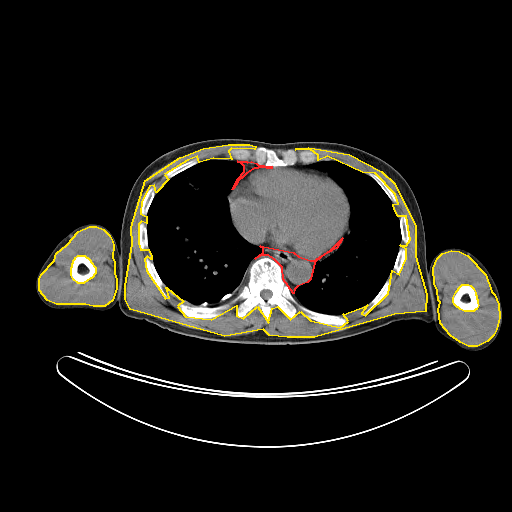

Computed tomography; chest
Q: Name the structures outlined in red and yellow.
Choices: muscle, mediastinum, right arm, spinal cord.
A: red: mediastinum; yellow: muscle.
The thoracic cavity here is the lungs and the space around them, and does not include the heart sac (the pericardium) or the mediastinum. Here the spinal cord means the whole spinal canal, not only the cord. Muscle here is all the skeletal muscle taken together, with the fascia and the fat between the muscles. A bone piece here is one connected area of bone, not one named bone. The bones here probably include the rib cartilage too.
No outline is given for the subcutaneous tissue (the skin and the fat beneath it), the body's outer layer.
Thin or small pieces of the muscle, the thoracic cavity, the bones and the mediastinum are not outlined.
The mediastinum appears in 2 outlined pieces: piece 1: 342,238 336,248 320,257 314,262 310,279 307,282 297,286 294,289 293,293 283,279 282,267 274,259 268,255 262,255 255,258 263,252 263,248 260,246 263,246 293,252 298,256 310,260 314,260 330,250; piece 2: 237,161 246,161 247,162 251,161 256,163 258,165 263,165 266,167 272,167 258,167 257,168 254,168 252,169 246,173 241,178 240,178 237,181 236,184 232,189 238,178 244,171 244,166 240,162. The muscle appears in 3 outlined pieces: piece 1: 228,144 249,144 255,146 254,149 231,148 228,151 231,159 213,158 199,162 197,156 187,160 164,174 168,179 156,192 154,185 149,186 141,201 140,213 146,216 146,223 141,221 138,224 138,243 140,249 148,249 151,256 151,259 147,256 144,259 146,270 165,298 169,297 166,287 183,301 177,306 185,316 211,319 236,305 236,315 243,318 257,306 268,322 272,308 277,306 290,319 300,311 310,320 340,327 348,321 343,314 367,305 361,313 365,315 388,293 392,270 399,274 406,258 406,249 400,245 406,245 410,239 406,216 398,216 394,209 393,204 398,203 395,194 375,173 362,172 327,156 318,160 318,155 310,149 295,149 308,147 349,154 381,171 394,183 415,226 415,256 426,294 425,311 394,314 314,337 287,337 269,335 263,329 224,336 130,309 125,299 125,285 132,244 131,227 145,180 180,157 203,148; piece 2: 89,226 96,226 103,229 109,235 112,241 113,245 112,257 114,262 114,273 116,279 116,288 112,300 104,306 93,306 85,304 56,304 47,300 39,290 39,279 41,274 54,260 56,253 67,244 78,231 with a hole at 78,255 84,255 86,257 87,257 90,260 90,261 95,267 95,273 93,275 93,276 91,278 90,278 83,283 78,283 73,279 71,275 71,267 72,266 72,263 73,262 73,260 75,258 75,257; piece 3: 451,250 459,251 467,255 485,274 491,291 494,294 498,304 499,317 496,329 493,335 487,341 477,346 468,346 460,342 450,335 440,323 438,309 440,302 438,300 437,290 434,283 433,268 437,258 442,253 with a hole at 462,284 468,284 470,285 473,288 475,292 475,294 476,295 476,298 477,299 477,303 478,305 476,309 475,309 473,311 464,311 460,309 458,307 457,307 454,304 453,302 453,297 456,291 458,289 458,288. The right arm is outlined by 87,223 97,223 106,227 111,232 116,243 118,245 120,253 120,282 115,304 111,308 102,312 93,311 92,310 84,310 83,309 58,310 49,307 42,302 36,292 35,280 38,271 55,246 65,236 75,228. The pericardium is outlined by 286,166 302,170 311,170 328,176 341,187 349,204 349,219 347,224 347,230 335,245 314,259 310,259 307,257 298,255 294,253 293,251 282,248 264,246 252,243 243,237 232,223 228,196 238,181 254,169. The left arm is outlined by 449,247 458,247 465,249 477,257 486,267 492,276 500,296 502,307 502,321 499,332 493,342 481,350 469,351 463,349 443,337 437,331 435,327 436,303 433,285 429,272 429,266 433,257 439,251 444,248. The bones appear in 12 outlined pieces: piece 1: 262,256 281,267 284,283 301,305 343,316 346,323 320,323 300,310 290,318 277,305 271,308 268,321 257,305 243,317 237,315 236,304 211,318 185,315 178,306 180,302 213,307 236,296 248,281 250,264; inner edge: 265,289 266,289 267,290 270,290 271,291 271,296 270,297 269,297 267,299 264,299 261,296 261,295 260,294 260,293 261,292 261,291 262,290 264,290; piece 2: 261,146 273,149 277,152 288,149 294,149 296,151 310,150 314,152 318,158 317,161 311,163 305,164 297,162 285,166 266,166 263,164 258,164 251,160 237,160 230,157 229,151 231,149 244,148 252,151; piece 3: 78,255 84,255 86,257 87,257 90,260 90,261 95,267 95,273 93,275 93,276 91,278 90,278 83,283 78,283 73,279 71,275 71,267 72,266 72,263 73,262 73,260 75,258 75,257; piece 4: 462,284 468,284 470,285 473,288 475,292 475,294 476,295 476,298 477,299 477,303 478,305 476,309 475,309 473,311 464,311 460,309 458,307 457,307 454,304 453,302 453,297 456,291 458,289 458,288; piece 5: 147,257 149,258 152,261 154,265 154,267 158,275 160,277 161,280 165,285 165,287 163,288 168,297 165,297 159,291 159,290 154,284 147,270 147,267 146,266 146,263 145,262 145,259; piece 6: 387,279 389,279 391,281 391,284 387,293 379,302 379,303 372,310 369,311 365,314 362,314 362,313 367,308 367,306 368,305 367,304 370,301 371,301 372,299 378,293 378,292 381,289 381,288 383,286; piece 7: 197,157 198,158 198,162 196,164 195,164 194,165 177,173 175,175 172,176 170,178 167,178 166,177 165,177 165,174 168,171 171,170 173,168 174,168 187,161 189,161 190,160 191,160 194,158 196,158; piece 8: 151,186 154,186 155,187 155,194 154,195 154,196 151,201 151,203 148,208 148,210 147,211 147,213 146,214 146,215 142,215 142,214 141,213 141,205 142,204 142,201 145,196 145,194 146,193 148,188; piece 9: 369,172 375,174 377,176 381,178 386,183 386,184 394,194 395,196 395,198 397,201 397,203 395,204 392,202 390,198 386,194 386,193 382,189 382,188 377,183 377,182 372,177 371,177 368,174 367,174; piece 10: 401,215 404,215 405,216 405,217 407,220 407,222 408,223 408,229 409,230 409,239 408,240 408,242 406,244 405,244 403,242 402,242 402,240 401,239 401,229 400,228 400,222 399,221 399,217; piece 11: 141,222 143,222 145,224 146,224 146,231 147,232 147,244 148,245 148,248 146,248 145,249 144,249 143,250 142,250 141,249 141,248 140,247 140,244 139,243 139,224; piece 12: 400,247 403,247 405,249 405,258 404,259 404,261 403,262 402,267 401,268 399,273 396,273 393,270 393,267 394,266 394,264 395,263 395,260 396,259 396,257 397,256 397,254 398,253 398,251 399,250. The torso is outlined by 217,138 270,143 342,143 371,153 396,169 409,184 421,212 426,263 434,295 435,322 395,321 359,335 321,343 250,345 189,337 126,316 116,303 121,282 119,244 122,218 135,180 148,164 162,154 186,144. The spinal cord is outlined by 265,289 266,289 267,290 270,290 271,291 271,296 270,297 269,297 267,299 264,299 261,296 261,295 260,294 260,293 261,292 261,291 262,290 264,290. The thoracic cavity appears in 2 outlined pieces: piece 1: 213,159 234,160 243,166 242,173 227,195 230,220 238,233 248,242 261,247 262,252 249,264 247,281 236,295 221,304 201,306 191,304 177,297 168,289 159,275 148,244 147,214 156,193 169,179 200,162; piece 2: 324,160 342,162 372,178 391,201 398,217 400,229 401,242 392,269 380,289 366,304 341,315 312,310 301,304 293,294 297,287 307,283 311,279 315,262 337,248 349,227 350,204 342,187 329,175 306,165.